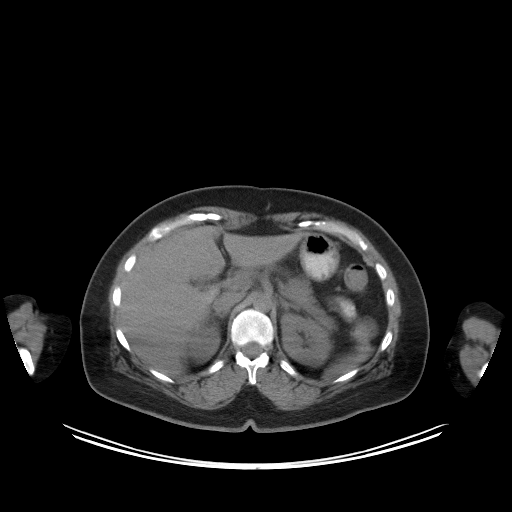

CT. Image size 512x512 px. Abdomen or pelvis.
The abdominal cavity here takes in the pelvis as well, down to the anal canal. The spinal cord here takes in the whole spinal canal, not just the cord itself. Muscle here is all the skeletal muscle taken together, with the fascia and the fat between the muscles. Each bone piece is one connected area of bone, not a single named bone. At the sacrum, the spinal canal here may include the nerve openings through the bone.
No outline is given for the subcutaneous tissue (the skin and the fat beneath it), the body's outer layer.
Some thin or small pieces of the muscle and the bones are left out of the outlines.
abdominal cavity: (258, 220) (288, 230) (334, 234) (374, 268) (384, 291) (387, 324) (372, 357) (333, 379) (307, 377) (277, 349) (271, 319) (248, 307) (232, 319) (223, 353) (207, 368) (172, 378) (142, 362) (121, 327) (119, 307) (126, 276) (144, 250) (173, 230) (197, 222) (238, 229)
bones 1: (248, 308) (252, 308) (265, 314) (270, 319) (274, 330) (273, 340) (267, 347) (269, 362) (266, 366) (259, 367) (256, 370) (256, 381) (253, 385) (251, 385) (248, 382) (247, 370) (235, 362) (234, 355) (236, 348) (231, 341) (231, 325) (233, 319) (241, 311) with a hole at (250, 342) (255, 342) (256, 343) (259, 344) (261, 346) (261, 347) (262, 348) (262, 351) (257, 356) (256, 356) (253, 358) (250, 358) (248, 356) (245, 355) (244, 354) (244, 353) (242, 351) (242, 347) (244, 345) (245, 345) (246, 344) (247, 344)
bones 2: (196, 212) (217, 213) (221, 216) (221, 218) (219, 220) (197, 221) (193, 223) (190, 223) (177, 227) (162, 237) (154, 241) (149, 241) (147, 239) (147, 236) (150, 230) (153, 227) (155, 226) (160, 226) (163, 224) (171, 222) (176, 219) (181, 218) (191, 213) (195, 213)
bones 3: (305, 220) (331, 221) (339, 225) (344, 226) (357, 233) (367, 244) (367, 249) (366, 250) (361, 249) (356, 244) (353, 243) (345, 236) (340, 234) (335, 234) (334, 233) (323, 231) (319, 229) (315, 229) (311, 226) (308, 227) (300, 227) (297, 224) (299, 222)
bones 4: (17, 347) (24, 347) (26, 348) (29, 351) (30, 353) (30, 355) (31, 356) (31, 359) (35, 366) (35, 370) (34, 372) (31, 375) (30, 375) (30, 374) (28, 373) (26, 368) (24, 366) (24, 364) (21, 359) (21, 357) (20, 356) (20, 354) (18, 351) (18, 349)
bones 5: (118, 327) (119, 328) (121, 328) (121, 329) (122, 330) (122, 331) (123, 332) (123, 333) (124, 334) (124, 335) (125, 336) (125, 337) (129, 344) (129, 346) (131, 349) (131, 351) (128, 351) (125, 348) (124, 348) (119, 342) (119, 341) (116, 336) (116, 329)
bones 6: (280, 359) (284, 359) (288, 363) (289, 363) (294, 368) (294, 369) (297, 372) (297, 375) (296, 376) (293, 376) (292, 375) (291, 375) (290, 374) (289, 374) (285, 370) (284, 370) (280, 366) (280, 365) (279, 364) (279, 361) (280, 360)
bones 7: (388, 330) (389, 330) (391, 332) (391, 333) (392, 334) (392, 337) (391, 338) (391, 341) (390, 342) (390, 343) (383, 351) (380, 351) (379, 350) (379, 347) (380, 346) (380, 344) (382, 341) (382, 339) (383, 338) (383, 337) (384, 336) (386, 331) (387, 331)
bones 8: (116, 286) (119, 286) (120, 287) (120, 288) (121, 289) (121, 297) (120, 298) (120, 303) (119, 304) (119, 306) (118, 307) (117, 307) (116, 306) (115, 306) (114, 305) (114, 304) (113, 303) (113, 302) (112, 301) (112, 294) (113, 293) (113, 290) (114, 289) (114, 288)
bones 9: (355, 368) (358, 368) (358, 370) (357, 371) (357, 372) (353, 376) (352, 376) (350, 378) (349, 378) (346, 380) (344, 380) (343, 381) (340, 381) (339, 382) (335, 382) (334, 383) (333, 383) (332, 382) (332, 381) (334, 379) (337, 378) (339, 376) (340, 376)
bones 10: (150, 368) (152, 368) (153, 369) (154, 369) (155, 370) (156, 370) (157, 371) (170, 377) (174, 381) (174, 382) (173, 383) (171, 383) (170, 382) (168, 382) (167, 381) (164, 381) (163, 380) (161, 380) (160, 379) (159, 379) (150, 372) (150, 371) (149, 370) (149, 369)
bones 11: (219, 359) (223, 359) (224, 360) (224, 364) (223, 365) (223, 366) (222, 367) (221, 367) (218, 370) (217, 370) (216, 371) (215, 371) (212, 373) (207, 373) (207, 369) (208, 368) (208, 367) (209, 366) (210, 366) (215, 361) (216, 361)
bones 12: (132, 254) (135, 254) (135, 255) (136, 256) (136, 260) (135, 261) (135, 263) (133, 265) (133, 266) (131, 268) (131, 269) (129, 271) (128, 271) (127, 272) (126, 271) (125, 271) (124, 270) (124, 263) (125, 262) (125, 261) (127, 259) (127, 258) (129, 256) (130, 256)
bones 13: (376, 263) (379, 263) (380, 264) (381, 264) (383, 266) (383, 267) (385, 269) (385, 270) (386, 271) (386, 277) (383, 280) (382, 280) (381, 279) (380, 279) (380, 278) (379, 277) (379, 276) (378, 275) (378, 274) (376, 272) (376, 270) (375, 269) (375, 264)
torso: (221, 184) (288, 187) (322, 193) (361, 209) (384, 227) (414, 267) (429, 315) (424, 370) (407, 397) (325, 425) (259, 433) (250, 427) (240, 432) (226, 432) (179, 425) (111, 401) (91, 388) (82, 364) (79, 313) (88, 281) (101, 255) (132, 219) (154, 203) (188, 189)
right arm: (11, 293) (29, 294) (35, 298) (38, 304) (42, 308) (44, 309) (50, 307) (60, 308) (67, 313) (71, 320) (72, 325) (71, 338) (63, 359) (55, 371) (49, 377) (38, 383) (34, 382) (24, 366) (18, 349) (14, 344) (12, 334) (7, 321) (4, 296)
spinal cord: (250, 342) (255, 342) (256, 343) (259, 344) (261, 346) (261, 347) (262, 348) (262, 351) (257, 356) (256, 356) (253, 358) (250, 358) (248, 356) (245, 355) (244, 354) (244, 353) (242, 351) (242, 347) (244, 345) (245, 345) (246, 344) (247, 344)
muscle 1: (200, 206) (225, 207) (258, 216) (295, 211) (315, 212) (343, 221) (365, 235) (388, 264) (398, 287) (401, 319) (390, 373) (302, 409) (277, 409) (254, 386) (257, 370) (270, 362) (268, 347) (272, 343) (283, 358) (279, 359) (279, 366) (289, 375) (296, 377) (299, 373) (315, 380) (332, 380) (333, 384) (353, 377) (378, 349) (383, 352) (391, 343) (393, 334) (386, 330) (388, 307) (394, 305) (395, 294) (390, 287) (384, 290) (382, 281) (387, 277) (387, 271) (379, 262) (374, 267) (369, 265) (357, 248) (337, 235) (366, 251) (368, 244) (357, 232) (331, 220) (301, 220) (296, 224) (297, 229) (283, 228) (271, 219) (258, 219) (238, 228) (224, 228) (210, 221) (219, 221) (222, 218) (219, 213) (196, 211) (155, 225)
muscle 2: (148, 232) (146, 239) (153, 242) (137, 258) (135, 253) (126, 258) (123, 270) (127, 275) (121, 288) (116, 285) (112, 290) (111, 301) (119, 309) (120, 324) (115, 329) (115, 336) (124, 349) (132, 351) (149, 367) (152, 375) (171, 384) (175, 378) (206, 369) (207, 374) (212, 374) (222, 368) (225, 360) (219, 358) (230, 336) (235, 348) (234, 362) (246, 370) (250, 385) (244, 386) (225, 406) (212, 410) (190, 407) (113, 368) (109, 289) (123, 255)
muscle 3: (471, 316) (476, 316) (487, 320) (492, 323) (497, 329) (498, 328) (501, 329) (501, 333) (495, 344) (495, 347) (492, 352) (491, 357) (477, 371) (477, 376) (479, 379) (476, 387) (473, 386) (462, 369) (459, 361) (459, 354) (457, 346) (457, 333) (460, 326) (465, 319)
muscle 4: (27, 301) (32, 302) (36, 309) (40, 312) (43, 312) (47, 318) (47, 324) (46, 325) (47, 328) (44, 334) (43, 347) (39, 355) (36, 367) (32, 359) (30, 351) (24, 346) (16, 346) (14, 344) (12, 334) (7, 321) (7, 314) (9, 312) (17, 309) (21, 304)
left arm: (477, 299) (484, 300) (501, 310) (503, 312) (503, 319) (501, 323) (501, 333) (495, 344) (491, 357) (487, 361) (485, 370) (477, 382) (477, 386) (471, 391) (466, 398) (463, 398) (454, 390) (450, 383) (444, 367) (443, 357) (446, 346) (455, 326) (460, 310) (468, 302)